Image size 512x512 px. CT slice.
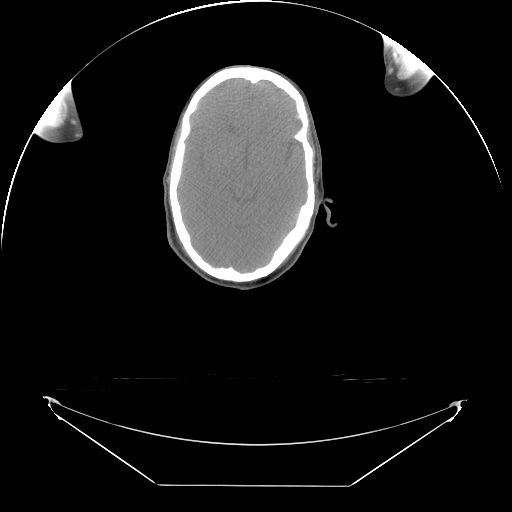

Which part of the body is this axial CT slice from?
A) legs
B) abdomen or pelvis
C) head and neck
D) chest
C) head and neck
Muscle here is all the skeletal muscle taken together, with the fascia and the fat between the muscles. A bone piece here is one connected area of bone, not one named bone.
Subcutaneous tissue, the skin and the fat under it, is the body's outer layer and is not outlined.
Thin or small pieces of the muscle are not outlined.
The muscle appears in 6 outlined pieces: piece 1: (393, 39) (400, 44) (401, 44) (404, 47) (408, 49) (426, 64) (410, 79) (407, 79) (406, 80) (399, 80) (398, 79) (396, 79) (396, 77) (395, 76) (395, 66) (394, 65) (394, 57) (393, 56) (393, 47) (392, 46) (392, 42) (393, 41); piece 2: (63, 86) (64, 88) (64, 93) (65, 94) (65, 100) (66, 101) (66, 104) (65, 105) (65, 117) (63, 121) (59, 126) (57, 126) (56, 127) (52, 127) (51, 128) (44, 127) (40, 125) (37, 123) (38, 120) (50, 102) (57, 94) (57, 93) (63, 87); piece 3: (305, 101) (310, 116) (314, 141) (317, 148) (317, 160) (318, 161) (318, 204) (315, 209) (314, 213) (314, 208) (315, 207) (315, 186) (314, 185) (314, 168) (313, 167) (313, 164) (314, 163) (314, 154) (315, 153) (308, 139) (309, 117) (308, 116) (308, 112) (305, 104); piece 4: (180, 121) (179, 134) (176, 140) (176, 143) (174, 147) (174, 153) (171, 159) (171, 164) (170, 165) (170, 169) (169, 170) (169, 181) (168, 182) (168, 201) (169, 202) (169, 205) (169, 203) (168, 202) (168, 194) (167, 193) (167, 182) (166, 181) (166, 179) (167, 178) (167, 175) (168, 174) (169, 164) (171, 160) (171, 152) (172, 151) (172, 148) (173, 147) (173, 143) (174, 142) (174, 139) (175, 138) (175, 136) (176, 135) (176, 133) (177, 132); piece 5: (299, 243) (299, 244) (298, 245) (298, 246) (296, 248) (296, 249) (294, 251) (294, 252) (293, 253) (293, 254) (290, 257) (290, 258) (282, 266) (281, 266) (279, 268) (278, 268) (279, 267) (279, 266) (284, 261) (284, 260) (289, 255) (289, 254) (294, 249) (294, 248); piece 6: (174, 227) (174, 229) (176, 232) (176, 234) (177, 235) (177, 236) (178, 237) (178, 238) (179, 239) (184, 250) (186, 252) (188, 257) (183, 252) (183, 251) (181, 249) (180, 246) (178, 244) (178, 243) (176, 240) (176, 238) (175, 237) (175, 232) (174, 231). The bones are outlined by (239, 65) (257, 66) (273, 71) (287, 79) (299, 91) (304, 100) (308, 117) (307, 139) (314, 153) (312, 164) (314, 207) (302, 239) (271, 273) (255, 280) (243, 282) (216, 278) (192, 261) (175, 229) (169, 201) (172, 159) (180, 134) (181, 118) (192, 95) (215, 72), around a hole outlined by (230, 79) (242, 79) (251, 84) (268, 81) (293, 100) (300, 126) (292, 137) (301, 144) (306, 182) (305, 200) (298, 209) (294, 225) (266, 263) (247, 271) (240, 271) (231, 265) (216, 266) (202, 256) (192, 243) (178, 197) (186, 140) (192, 129) (191, 116) (208, 92). The right arm is outlined by (70, 78) (71, 89) (77, 107) (77, 110) (81, 119) (81, 122) (84, 130) (84, 134) (83, 137) (78, 141) (70, 142) (69, 143) (62, 143) (61, 144) (50, 143) (44, 140) (40, 136) (32, 132) (34, 129) (35, 125) (50, 102) (63, 87) (64, 84). The brain is outlined by (230, 79) (242, 79) (251, 84) (268, 81) (293, 100) (300, 126) (292, 137) (301, 144) (306, 182) (305, 200) (298, 209) (294, 225) (266, 263) (247, 271) (240, 271) (231, 265) (216, 266) (202, 256) (192, 243) (178, 197) (186, 140) (192, 129) (191, 116) (208, 92). The left arm is outlined by (381, 34) (388, 36) (408, 49) (424, 62) (435, 74) (435, 75) (432, 76) (430, 78) (426, 85) (419, 92) (416, 93) (414, 95) (408, 96) (407, 97) (397, 97) (389, 94) (385, 90) (383, 85) (384, 64) (382, 58) (383, 41) (382, 40) (382, 35). The head is outlined by (234, 64) (274, 68) (304, 91) (321, 146) (324, 193) (333, 201) (328, 204) (330, 220) (337, 223) (328, 226) (326, 212) (320, 207) (313, 232) (293, 266) (275, 280) (247, 290) (203, 279) (174, 253) (166, 237) (163, 205) (162, 176) (172, 132) (184, 103) (206, 76).